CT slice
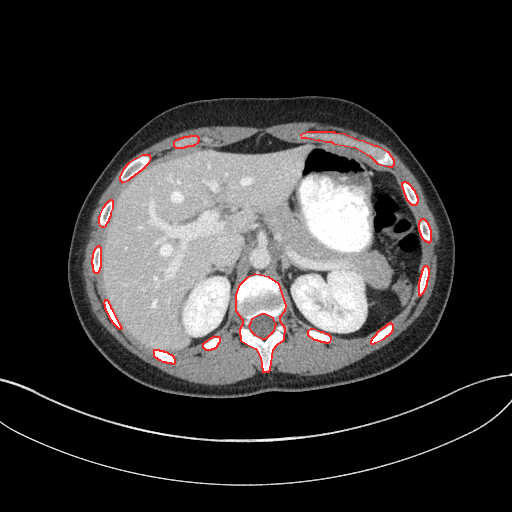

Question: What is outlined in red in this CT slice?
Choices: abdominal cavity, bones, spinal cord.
Answer: red: bones.
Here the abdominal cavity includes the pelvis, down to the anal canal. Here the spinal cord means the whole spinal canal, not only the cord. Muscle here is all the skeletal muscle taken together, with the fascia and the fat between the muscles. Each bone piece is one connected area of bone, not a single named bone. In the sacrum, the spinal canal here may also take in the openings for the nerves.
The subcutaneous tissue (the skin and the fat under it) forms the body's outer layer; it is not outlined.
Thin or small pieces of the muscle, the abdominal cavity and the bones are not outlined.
The bones appear in 14 outlined pieces: piece 1: 262,371 268,371 270,369 273,349 277,344 284,339 285,328 280,321 280,316 285,310 286,305 279,284 269,277 255,274 246,278 238,286 235,295 235,310 242,319 242,324 239,329 240,340 255,348 260,357 with a hole at 262,338 265,338 267,337 274,330 275,328 275,325 276,324 273,318 265,314 261,314 251,319 250,321 250,323 248,326 250,330 254,334; piece 2: 388,166 392,166 394,164 394,160 388,152 377,146 374,146 363,141 357,140 344,134 335,133 334,132 307,132 300,135 301,137 307,137 318,140 319,139 325,141 331,141 333,143 355,147 369,155 377,163; piece 3: 122,182 129,179 132,176 133,176 136,173 137,173 140,170 141,170 144,167 145,167 145,166 149,162 151,158 150,155 142,155 128,163 125,166 125,167 123,169 119,176 119,179; piece 4: 101,226 104,226 106,225 107,222 109,220 109,218 111,215 111,212 113,208 113,201 112,200 110,200 108,201 104,205 104,206 102,208 99,214 99,216 98,217 98,223 99,225; piece 5: 411,204 416,204 417,203 417,202 418,201 418,198 417,197 417,195 416,194 415,191 408,183 407,183 406,182 403,182 402,183 401,183 401,186 402,187 403,192 405,195 405,197 406,198 406,199; piece 6: 428,242 429,242 431,240 431,230 430,229 430,227 429,226 429,225 428,224 428,223 424,219 421,219 418,222 418,229 419,230 419,232 420,233 420,235 421,236 421,237 424,240 425,240 426,241 427,241; piece 7: 419,295 420,295 424,291 424,290 426,287 426,285 427,284 427,280 428,279 428,277 429,276 429,269 427,266 424,266 422,268 422,270 421,271 421,274 420,275 420,277 419,278 419,281 418,282 418,294; piece 8: 94,272 98,272 99,271 99,270 100,269 100,267 101,266 101,248 99,246 97,246 94,249 94,250 93,251 93,252 92,253 92,258 91,259 91,263 92,264 92,269 93,270 93,271; piece 9: 175,147 184,147 185,146 187,146 188,145 193,145 194,144 195,144 198,142 198,141 199,140 199,138 197,136 189,136 188,137 183,137 182,138 180,138 179,139 178,139 177,140 176,140 173,142 173,145; piece 10: 371,343 374,343 375,342 384,338 387,335 388,335 392,331 392,330 393,329 393,325 391,323 389,323 388,324 387,324 383,328 382,328 380,330 379,330 376,333 376,334 371,339 371,340 370,341 370,342; piece 11: 325,342 328,342 330,341 331,339 331,337 328,334 326,334 323,332 320,332 314,329 310,329 307,331 307,334 313,339 316,339 317,340 319,340 320,341 324,341; piece 12: 118,328 122,328 121,327 121,326 120,325 120,324 119,323 113,310 111,308 111,306 110,305 109,302 107,300 104,300 103,303 104,304 104,307 105,308 105,310 106,311 109,318 111,320 111,321; piece 13: 171,363 174,363 175,362 175,359 174,358 174,357 172,355 171,355 166,352 164,352 163,351 160,351 159,350 153,350 153,355 155,357 156,357 158,359 159,359 162,361 165,361 166,362 170,362; piece 14: 205,349 211,349 212,348 214,348 215,347 216,347 217,346 217,345 218,344 218,343 220,341 220,338 219,337 215,337 214,336 213,337 212,337 211,338 210,338 205,342 204,342 202,344 202,346. The muscle is outlined by 208,385 230,384 262,372 254,348 239,340 241,319 234,300 226,323 214,335 221,338 218,346 205,350 200,344 171,354 174,364 155,358 150,348 118,329 104,310 100,273 92,271 90,259 105,231 97,223 98,214 125,184 118,179 124,166 142,154 160,155 174,147 174,140 189,135 200,138 197,145 221,146 256,132 300,142 312,139 299,136 307,131 334,131 391,154 392,167 374,161 376,167 393,173 400,185 406,181 413,187 419,201 407,201 408,205 416,221 424,218 432,230 429,243 422,239 420,267 430,269 427,287 420,296 416,288 390,322 393,331 374,344 369,341 376,332 351,339 331,336 328,343 313,340 306,334 311,328 295,315 285,295 285,339 274,349 269,371 310,376 340,369 387,344 421,313 435,283 438,227 420,184 386,145 351,129 317,122 204,126 154,143 117,171 88,225 81,273 91,310 144,361 with a hole at 204,142 210,142 211,141 212,141 212,139 211,139 210,138 208,138 207,137 203,137 201,139 201,140 202,140. The spinal cord is outlined by 262,338 265,338 267,337 274,330 275,328 275,325 276,324 273,318 265,314 261,314 251,319 250,321 250,323 248,326 250,330 254,334. The torso is outlined by 205,398 308,391 366,379 405,362 435,331 453,281 452,226 435,186 416,157 385,121 362,105 322,95 219,97 181,103 157,114 131,135 86,195 74,224 67,260 71,299 86,335 114,367 131,379 160,391. The abdominal cavity is outlined by 169,353 213,336 227,319 237,286 255,273 276,280 312,328 351,338 383,327 409,302 420,274 417,223 393,174 378,170 355,148 292,143 267,133 221,147 174,148 152,159 114,201 100,272 122,327 140,343.